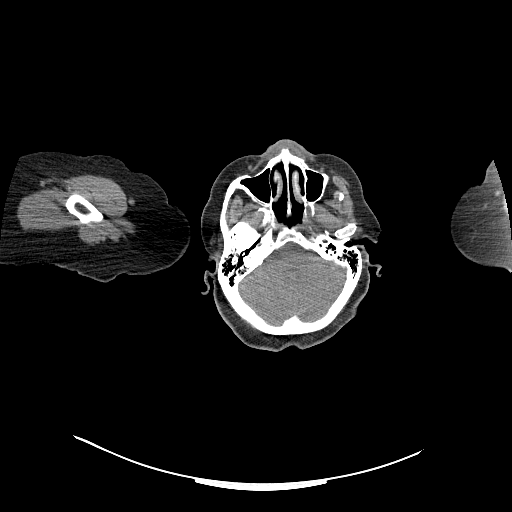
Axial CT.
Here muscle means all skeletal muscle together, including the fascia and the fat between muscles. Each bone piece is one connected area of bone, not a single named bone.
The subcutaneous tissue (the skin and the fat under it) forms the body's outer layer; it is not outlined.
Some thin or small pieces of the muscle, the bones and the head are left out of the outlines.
{"head":[{"outer":[[282,138],[346,161],[381,231],[376,242],[349,243],[364,245],[369,261],[379,265],[368,269],[369,286],[355,316],[321,343],[272,351],[247,345],[224,321],[210,276],[204,293],[205,271],[216,264],[207,259],[200,218],[215,178],[228,163],[260,154]],"holes":[[[283,177],[284,177],[286,186],[285,216],[287,218],[289,218],[292,215],[291,209],[291,193],[292,193],[294,199],[297,202],[301,203],[303,206],[301,221],[299,223],[288,225],[283,221],[279,221],[274,211],[273,203],[276,202],[282,195],[284,183]],[[266,170],[268,170],[269,173],[271,174],[271,181],[275,186],[275,188],[274,189],[274,194],[273,194],[273,191],[272,190],[269,193],[269,199],[268,201],[264,201],[258,197],[250,189],[250,188],[244,183],[244,181],[245,180],[255,178],[262,174]],[[308,171],[309,171],[310,172],[313,172],[314,173],[315,173],[316,174],[318,174],[321,177],[321,188],[320,189],[320,191],[319,192],[319,194],[314,199],[313,199],[312,200],[309,200],[307,198],[307,181],[308,180],[308,175],[307,174],[307,172]]]}],"right_arm":[[[45,150],[83,156],[110,155],[120,159],[130,170],[145,173],[153,178],[164,189],[168,202],[178,206],[189,221],[191,237],[181,258],[169,267],[153,273],[122,273],[107,282],[100,282],[48,263],[0,263],[4,208],[18,160],[24,154]]],"brain":[[[289,242],[298,245],[306,251],[311,251],[322,259],[332,262],[343,269],[344,280],[339,292],[324,313],[320,316],[311,320],[304,320],[296,314],[293,314],[280,323],[271,323],[260,315],[243,298],[239,290],[239,284],[246,276],[260,266],[266,258]]],"muscle":[{"outer":[[82,174],[108,177],[121,186],[128,199],[127,214],[140,228],[138,234],[120,238],[113,242],[98,241],[89,246],[78,238],[76,229],[73,227],[58,230],[29,231],[21,228],[16,217],[16,206],[22,196],[40,188],[42,182],[46,179]],"hole":[[73,192],[76,192],[80,194],[92,204],[93,204],[98,209],[98,210],[103,214],[104,216],[103,220],[98,222],[94,222],[93,221],[91,221],[85,224],[84,223],[81,223],[73,214],[70,213],[65,207],[64,203],[65,202],[65,200]]},{"outer":[[283,146],[290,146],[347,175],[353,190],[353,200],[363,218],[361,231],[353,236],[357,229],[353,220],[348,220],[331,231],[325,228],[320,232],[311,231],[308,235],[299,229],[299,225],[305,223],[309,216],[315,215],[315,205],[325,195],[331,177]],"hole":[[336,191],[341,191],[343,193],[343,198],[342,199],[342,200],[341,200],[340,201],[338,199],[338,195],[337,194],[336,194],[335,193],[335,192]]},[[237,189],[243,191],[253,202],[256,203],[259,206],[256,211],[258,213],[259,212],[262,214],[260,222],[258,225],[262,229],[262,231],[260,231],[255,226],[244,219],[239,219],[231,225],[229,225],[227,220],[226,211],[228,207],[228,203],[232,195]],[[278,149],[279,149],[278,151],[271,156],[265,164],[256,172],[253,174],[249,173],[241,174],[233,178],[227,185],[224,192],[218,220],[218,226],[222,237],[222,249],[220,254],[218,255],[217,251],[219,249],[219,247],[216,239],[217,238],[217,228],[216,223],[214,221],[214,215],[213,214],[220,196],[220,192],[223,187],[223,181],[237,170],[241,168],[245,168],[249,164],[254,165],[258,161],[263,159],[268,154]],[[361,274],[362,275],[361,276],[361,281],[353,298],[353,300],[343,313],[341,316],[341,318],[335,325],[311,337],[303,338],[297,335],[294,335],[303,335],[304,334],[313,333],[317,331],[320,331],[327,327],[337,317],[347,304],[358,284]],[[226,300],[231,308],[235,312],[235,313],[241,319],[248,323],[253,328],[267,335],[271,335],[272,336],[278,336],[277,337],[263,337],[261,335],[256,335],[250,332],[242,325],[238,323],[238,322],[231,315],[231,314],[228,311],[228,306],[227,305]]],"bones":[{"outer":[[282,147],[287,147],[294,154],[304,158],[310,167],[324,172],[330,177],[324,195],[314,205],[314,215],[309,215],[305,222],[298,225],[298,229],[308,236],[311,232],[320,233],[325,229],[331,232],[346,222],[353,221],[356,224],[356,229],[349,243],[357,244],[363,256],[362,269],[357,284],[336,317],[320,330],[293,335],[267,334],[241,318],[224,296],[216,269],[223,249],[219,220],[228,185],[241,175],[256,173]],"holes":[[[289,242],[298,245],[306,251],[311,251],[322,259],[332,262],[343,269],[344,280],[339,292],[324,313],[320,316],[311,320],[304,320],[296,314],[293,314],[280,323],[271,323],[260,315],[243,298],[239,290],[239,284],[246,276],[260,266],[266,258]],[[237,189],[243,191],[253,202],[256,203],[259,206],[256,211],[258,213],[259,212],[262,214],[260,222],[258,225],[262,229],[262,231],[260,231],[255,226],[244,219],[239,219],[231,225],[229,225],[227,220],[226,211],[228,207],[228,203],[232,195]],[[283,177],[284,177],[286,186],[285,216],[287,218],[289,218],[292,215],[291,209],[291,193],[292,193],[294,199],[297,202],[301,203],[303,206],[301,221],[299,223],[288,225],[283,221],[279,221],[274,211],[273,203],[276,202],[282,195],[284,183]],[[266,170],[268,170],[269,173],[271,174],[271,181],[275,186],[275,188],[274,189],[274,194],[273,194],[273,191],[272,190],[269,193],[269,199],[268,201],[264,201],[258,197],[250,189],[250,188],[244,183],[244,181],[245,180],[255,178],[262,174]],[[308,171],[309,171],[310,172],[313,172],[314,173],[315,173],[316,174],[318,174],[321,177],[321,188],[320,189],[320,191],[319,192],[319,194],[314,199],[313,199],[312,200],[309,200],[307,198],[307,181],[308,180],[308,175],[307,174],[307,172]]]},[[73,192],[76,192],[80,194],[92,204],[93,204],[98,209],[98,210],[103,214],[104,216],[103,220],[98,222],[94,222],[93,221],[91,221],[85,224],[84,223],[81,223],[73,214],[70,213],[65,207],[64,203],[65,202],[65,200]]],"left_arm":[[[491,162],[493,162],[499,178],[501,186],[501,194],[503,198],[503,205],[505,206],[508,227],[511,235],[511,271],[500,267],[483,266],[467,259],[458,251],[450,235],[449,225],[450,217],[456,202],[462,193],[469,186],[478,184],[483,180],[486,168]]]}